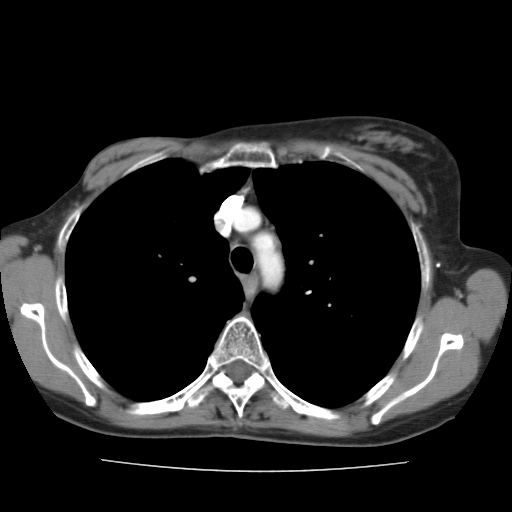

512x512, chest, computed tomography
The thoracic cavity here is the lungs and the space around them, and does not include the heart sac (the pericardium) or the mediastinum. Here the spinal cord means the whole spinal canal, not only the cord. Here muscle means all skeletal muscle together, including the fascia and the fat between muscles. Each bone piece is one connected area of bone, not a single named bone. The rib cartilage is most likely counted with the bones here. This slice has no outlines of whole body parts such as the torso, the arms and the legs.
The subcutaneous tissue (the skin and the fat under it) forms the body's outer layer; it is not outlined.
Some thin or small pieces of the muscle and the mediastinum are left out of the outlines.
The bones appear in 12 outlined pieces: piece 1: [[236,315],[252,320],[279,381],[302,399],[340,412],[339,418],[300,414],[291,407],[283,409],[272,400],[269,386],[249,398],[241,418],[218,388],[193,407],[185,404],[177,411],[142,415],[126,411],[133,402],[168,397],[192,382],[203,371],[226,322]]; inner edge: [[236,360],[242,360],[245,363],[246,363],[250,367],[250,373],[249,374],[249,375],[241,383],[236,383],[230,377],[229,377],[228,376],[228,375],[227,374],[227,366],[229,364],[230,364],[232,362],[233,362],[234,361],[235,361]]; piece 2: [[237,141],[246,141],[247,142],[266,141],[268,142],[275,155],[275,159],[279,165],[278,167],[276,168],[271,167],[249,168],[238,165],[229,166],[224,168],[218,168],[211,172],[206,172],[203,168],[198,167],[204,163],[219,158],[225,154],[231,146]]; piece 3: [[445,332],[461,334],[463,338],[462,347],[460,349],[446,350],[439,358],[433,377],[414,394],[395,404],[386,411],[381,417],[378,424],[372,424],[370,421],[370,417],[374,413],[380,410],[388,402],[402,392],[421,382],[428,375],[438,353],[441,336]]; piece 4: [[24,302],[39,302],[42,304],[44,309],[45,337],[49,350],[58,360],[74,372],[86,389],[96,398],[97,402],[95,406],[85,404],[83,392],[77,382],[67,372],[54,365],[49,359],[43,347],[39,324],[35,320],[22,315],[20,312],[20,307]]; piece 5: [[411,219],[420,226],[420,229],[424,236],[428,248],[428,254],[430,261],[430,269],[429,270],[430,271],[429,272],[430,277],[427,289],[423,293],[421,292],[421,272],[420,271],[418,253],[416,249],[416,245],[413,238],[413,235],[409,226],[409,222]]; piece 6: [[74,344],[77,344],[79,345],[80,348],[82,350],[83,353],[87,359],[95,368],[99,374],[105,380],[107,383],[107,387],[110,391],[109,392],[97,386],[92,381],[91,381],[83,372],[77,363],[74,357],[74,355],[72,352]]; piece 7: [[84,201],[85,201],[86,207],[81,213],[77,222],[75,224],[69,236],[69,238],[65,247],[65,252],[64,254],[63,254],[59,251],[59,248],[58,247],[58,236],[59,235],[60,230],[64,224],[68,215],[76,207],[80,205]]; piece 8: [[392,371],[394,371],[396,373],[396,376],[394,381],[391,384],[391,385],[381,396],[380,396],[369,405],[362,407],[361,406],[362,402],[361,401],[359,401],[358,399],[363,394],[369,390],[376,383],[377,383],[382,378],[383,378],[389,372],[391,372]]; piece 9: [[418,314],[420,314],[422,316],[422,319],[423,320],[423,329],[412,351],[405,359],[402,360],[399,357],[399,355],[405,343],[405,341],[410,331],[410,329],[415,319],[415,317],[416,315]]; piece 10: [[325,145],[329,145],[333,148],[337,150],[339,150],[350,159],[359,164],[364,169],[366,174],[362,173],[358,170],[353,169],[339,162],[341,160],[338,157],[332,154],[331,154],[326,159],[319,159],[317,156],[315,155],[314,151],[317,148],[324,146]]; piece 11: [[60,274],[61,274],[64,277],[64,284],[65,285],[65,291],[66,292],[66,297],[67,298],[67,307],[68,308],[69,318],[70,319],[70,322],[69,323],[66,323],[62,319],[58,311],[58,308],[56,303],[56,299],[55,298],[55,280],[57,276]]; piece 12: [[160,150],[165,150],[167,157],[163,159],[161,159],[158,161],[156,161],[153,163],[148,164],[145,166],[140,167],[130,172],[123,177],[121,177],[124,171],[125,171],[134,163],[135,163],[140,159],[150,154],[157,152]]. The thoracic cavity appears in 2 outlined pieces: piece 1: [[166,158],[181,158],[206,173],[238,166],[250,169],[245,181],[221,202],[212,217],[215,231],[227,242],[227,262],[244,297],[192,381],[168,396],[135,401],[106,381],[79,344],[68,307],[65,253],[82,213],[100,194],[130,173]]; piece 2: [[299,159],[338,162],[378,184],[401,210],[419,264],[419,299],[399,354],[387,373],[357,399],[332,408],[302,398],[280,381],[252,319],[251,310],[257,296],[278,294],[287,270],[282,242],[275,224],[259,202],[252,170],[276,169],[283,164],[297,163]]. The spinal cord is outlined by [[236,360],[242,360],[245,363],[246,363],[250,367],[250,373],[249,374],[249,375],[241,383],[236,383],[230,377],[229,377],[228,376],[228,375],[227,374],[227,366],[229,364],[230,364],[232,362],[233,362],[234,361],[235,361]]. The mediastinum is outlined by [[251,169],[258,202],[275,226],[281,242],[286,267],[284,283],[278,293],[270,295],[262,292],[256,296],[250,310],[251,319],[245,315],[236,314],[242,308],[245,297],[244,292],[228,262],[228,242],[216,231],[213,222],[214,214],[222,202],[241,187]]. The muscle is outlined by [[152,137],[211,142],[236,138],[331,140],[401,167],[415,182],[427,207],[422,230],[433,258],[435,294],[463,285],[484,267],[499,272],[505,283],[508,296],[501,329],[470,395],[373,433],[325,437],[282,428],[128,428],[97,420],[39,391],[8,321],[0,239],[20,234],[32,243],[53,247],[65,218],[57,236],[58,251],[64,255],[64,276],[60,273],[54,280],[57,311],[66,324],[71,322],[78,342],[71,352],[82,372],[100,389],[109,393],[108,384],[133,400],[125,410],[128,414],[177,412],[185,405],[193,408],[218,389],[241,419],[250,398],[269,387],[271,400],[283,410],[336,420],[342,414],[333,408],[356,400],[364,408],[381,397],[396,379],[397,373],[389,371],[392,365],[398,356],[405,360],[420,338],[424,320],[416,312],[431,277],[427,241],[421,226],[412,218],[408,223],[396,202],[359,163],[329,144],[313,151],[318,159],[299,158],[282,164],[266,140],[237,140],[219,157],[199,165],[168,157],[166,150],[160,149],[130,165],[87,206],[82,202],[83,178],[93,160],[115,144]] with holes at [[445,332],[461,334],[463,338],[462,347],[460,349],[446,350],[439,358],[433,377],[414,394],[395,404],[386,411],[381,417],[378,424],[372,424],[370,421],[370,417],[374,413],[380,410],[388,402],[402,392],[421,382],[428,375],[438,353],[441,336]] and at [[24,302],[39,302],[42,304],[44,309],[45,337],[49,350],[58,360],[74,372],[86,389],[96,398],[97,402],[95,406],[85,404],[83,392],[77,382],[67,372],[54,365],[49,359],[43,347],[39,324],[35,320],[22,315],[20,312],[20,307]].